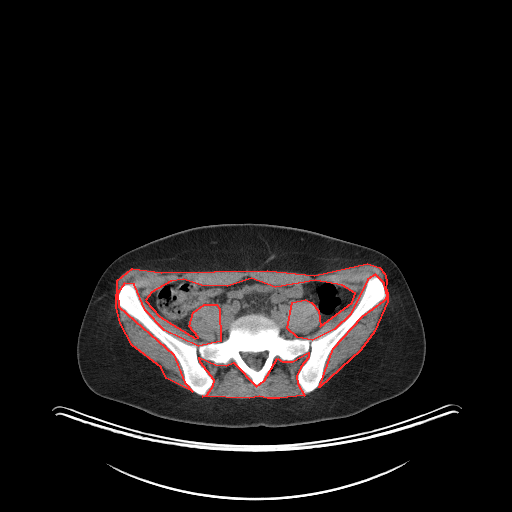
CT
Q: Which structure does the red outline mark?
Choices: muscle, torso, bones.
A: red: muscle.
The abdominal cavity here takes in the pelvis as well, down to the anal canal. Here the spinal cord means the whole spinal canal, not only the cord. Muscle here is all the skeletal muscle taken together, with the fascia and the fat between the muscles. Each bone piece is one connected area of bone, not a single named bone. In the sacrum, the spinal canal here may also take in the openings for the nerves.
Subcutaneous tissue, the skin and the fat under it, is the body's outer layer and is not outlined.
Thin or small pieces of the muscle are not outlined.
The muscle appears in 2 outlined pieces: piece 1: (367, 263) (379, 267) (384, 273) (386, 280) (386, 283) (385, 287) (387, 293) (387, 301) (374, 331) (360, 350) (319, 387) (333, 348) (362, 316) (384, 300) (386, 298) (386, 297) (387, 296) (387, 294) (386, 293) (386, 290) (385, 289) (384, 283) (375, 274) (367, 279) (350, 314) (334, 329) (312, 340) (297, 337) (287, 328) (292, 302) (305, 299) (311, 302) (318, 310) (320, 326) (352, 302) (355, 293) (342, 285) (315, 280) (275, 287) (251, 278) (227, 286) (201, 285) (183, 279) (170, 281) (151, 292) (145, 300) (159, 316) (195, 338) (198, 337) (189, 326) (193, 312) (204, 304) (216, 304) (219, 308) (220, 341) (198, 346) (164, 330) (145, 310) (134, 284) (124, 283) (117, 293) (118, 306) (173, 354) (184, 382) (192, 391) (166, 378) (161, 367) (132, 345) (120, 323) (116, 307) (117, 280) (132, 268) (161, 272) (267, 270) (314, 275); piece 2: (308, 352) (308, 357) (300, 367) (296, 376) (297, 383) (304, 395) (279, 398) (267, 398) (259, 396) (249, 398) (202, 396) (207, 394) (213, 385) (214, 380) (200, 362) (199, 357) (215, 364) (226, 365) (233, 362) (256, 386) (264, 380) (277, 358) (282, 361) (292, 361). The bones are outlined by (374, 275) (385, 298) (336, 343) (318, 386) (305, 394) (297, 376) (308, 351) (277, 357) (256, 385) (233, 361) (199, 356) (213, 382) (197, 394) (174, 354) (117, 299) (132, 283) (164, 331) (197, 347) (225, 340) (248, 314) (273, 320) (284, 338) (312, 341) (351, 314), around a hole outlined by (243, 352) (245, 352) (248, 354) (259, 354) (261, 352) (265, 352) (267, 354) (267, 357) (263, 360) (263, 362) (262, 363) (262, 365) (261, 366) (261, 367) (258, 370) (256, 370) (255, 369) (252, 368) (250, 366) (249, 366) (246, 362) (246, 361) (241, 357) (241, 354). The abdominal cavity is outlined by (247, 279) (275, 288) (316, 281) (342, 286) (354, 296) (320, 325) (319, 310) (311, 301) (292, 301) (286, 328) (293, 338) (281, 335) (273, 319) (248, 313) (229, 324) (221, 341) (220, 308) (204, 303) (188, 319) (197, 338) (154, 311) (147, 297) (176, 280) (227, 287). The spinal cord is outlined by (243, 352) (245, 352) (248, 354) (259, 354) (261, 352) (265, 352) (267, 354) (267, 357) (263, 360) (263, 362) (262, 363) (262, 365) (261, 366) (261, 367) (258, 370) (256, 370) (255, 369) (252, 368) (250, 366) (249, 366) (246, 362) (246, 361) (241, 357) (241, 354). The torso is outlined by (219, 223) (267, 223) (307, 229) (373, 248) (392, 259) (410, 288) (425, 332) (425, 359) (414, 383) (403, 393) (347, 417) (281, 427) (234, 428) (180, 422) (152, 415) (94, 393) (85, 384) (79, 371) (76, 345) (85, 310) (103, 271) (118, 256) (147, 242) (191, 227).